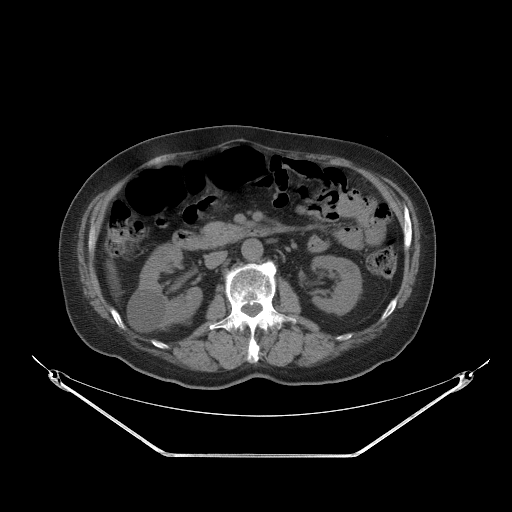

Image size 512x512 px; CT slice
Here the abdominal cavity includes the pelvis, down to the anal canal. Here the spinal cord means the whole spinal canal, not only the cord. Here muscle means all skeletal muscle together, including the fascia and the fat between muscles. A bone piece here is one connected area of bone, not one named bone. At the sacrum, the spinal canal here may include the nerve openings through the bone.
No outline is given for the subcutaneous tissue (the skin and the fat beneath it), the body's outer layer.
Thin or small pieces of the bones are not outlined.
The abdominal cavity is outlined by (235, 142) (349, 168) (389, 203) (402, 229) (403, 272) (375, 321) (337, 335) (323, 331) (301, 314) (298, 295) (286, 279) (276, 280) (276, 265) (267, 259) (228, 270) (205, 321) (181, 339) (166, 343) (124, 323) (105, 298) (95, 266) (110, 202) (144, 168). The torso is outlined by (224, 124) (358, 142) (394, 159) (416, 181) (434, 220) (435, 276) (421, 325) (395, 358) (335, 383) (285, 385) (254, 377) (221, 389) (194, 389) (141, 373) (116, 357) (91, 349) (75, 333) (64, 306) (57, 249) (63, 217) (81, 185) (100, 165) (138, 142) (170, 132). The bones appear in 6 outlined pieces: piece 1: (267, 260) (276, 268) (272, 305) (278, 312) (294, 317) (296, 322) (284, 321) (277, 330) (257, 327) (254, 337) (259, 347) (258, 360) (251, 363) (246, 357) (250, 339) (247, 326) (228, 331) (210, 329) (209, 325) (231, 311) (225, 293) (226, 273) (247, 263) (260, 264) with a hole at (255, 303) (257, 303) (258, 304) (259, 304) (261, 306) (261, 310) (259, 312) (258, 312) (254, 316) (250, 316) (248, 314) (247, 314) (246, 313) (245, 313) (242, 310) (242, 307) (244, 305) (246, 305) (247, 304) (248, 304) (249, 305) (252, 305) (253, 304) (254, 304); piece 2: (403, 203) (406, 205) (408, 209) (409, 216) (411, 221) (411, 228) (412, 229) (411, 243) (408, 250) (406, 251) (404, 250) (404, 240) (403, 239) (404, 238) (403, 237) (404, 236) (403, 235) (403, 229) (402, 228) (402, 226) (404, 222) (404, 215) (403, 214); piece 3: (92, 218) (94, 218) (94, 228) (95, 229) (95, 235) (96, 236) (96, 239) (95, 240) (95, 246) (94, 247) (93, 252) (92, 253) (90, 253) (89, 252) (89, 250) (88, 249) (88, 235) (89, 234) (89, 229) (90, 228) (90, 226) (91, 225) (91, 219); piece 4: (395, 296) (397, 296) (397, 301) (396, 302) (396, 304) (395, 305) (395, 308) (394, 309) (394, 310) (387, 317) (386, 317) (382, 321) (381, 321) (380, 320) (380, 317) (381, 316) (381, 315) (383, 313) (384, 310) (386, 308) (386, 307) (389, 303) (389, 302); piece 5: (111, 307) (114, 308) (118, 312) (118, 313) (119, 314) (119, 315) (120, 316) (120, 317) (121, 318) (123, 323) (125, 325) (125, 328) (124, 329) (119, 327) (117, 325) (117, 324) (116, 323) (114, 318) (112, 316) (112, 315) (110, 312) (110, 308); piece 6: (151, 339) (155, 339) (156, 340) (157, 340) (158, 341) (160, 341) (161, 342) (163, 342) (164, 343) (165, 343) (166, 344) (167, 344) (169, 346) (169, 348) (168, 348) (167, 349) (165, 349) (164, 348) (159, 348) (158, 347) (157, 347) (156, 346) (155, 346) (151, 342). The muscle is outlined by (236, 138) (275, 148) (345, 158) (393, 181) (409, 197) (420, 230) (418, 271) (409, 297) (378, 336) (311, 367) (253, 364) (259, 360) (260, 347) (255, 337) (257, 328) (277, 331) (284, 322) (297, 322) (294, 316) (278, 311) (273, 305) (278, 276) (286, 280) (297, 295) (300, 314) (317, 324) (323, 332) (335, 335) (336, 341) (347, 340) (352, 337) (351, 332) (362, 330) (379, 318) (381, 322) (387, 318) (396, 308) (396, 295) (404, 272) (404, 251) (411, 246) (413, 229) (407, 205) (402, 203) (402, 225) (390, 203) (357, 171) (310, 158) (293, 158) (245, 141) (231, 142) (196, 155) (160, 161) (137, 171) (109, 202) (97, 234) (95, 218) (90, 219) (87, 249) (90, 254) (94, 250) (97, 280) (111, 306) (109, 312) (116, 325) (123, 330) (126, 326) (136, 334) (149, 338) (159, 349) (169, 349) (168, 343) (187, 337) (206, 321) (206, 311) (216, 286) (223, 284) (230, 311) (223, 318) (210, 323) (208, 328) (231, 332) (247, 327) (249, 339) (245, 357) (250, 363) (217, 372) (181, 367) (136, 348) (94, 310) (83, 293) (76, 251) (81, 220) (92, 199) (156, 156) (200, 150). The spinal cord is outlined by (255, 303) (257, 303) (258, 304) (259, 304) (261, 306) (261, 310) (259, 312) (258, 312) (254, 316) (250, 316) (248, 314) (247, 314) (246, 313) (245, 313) (242, 310) (242, 307) (244, 305) (246, 305) (247, 304) (248, 304) (249, 305) (252, 305) (253, 304) (254, 304).